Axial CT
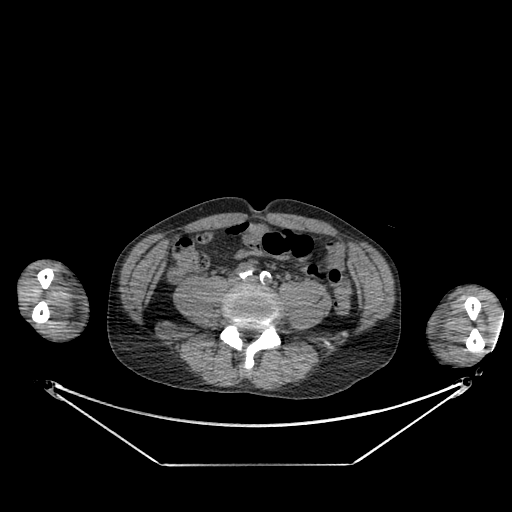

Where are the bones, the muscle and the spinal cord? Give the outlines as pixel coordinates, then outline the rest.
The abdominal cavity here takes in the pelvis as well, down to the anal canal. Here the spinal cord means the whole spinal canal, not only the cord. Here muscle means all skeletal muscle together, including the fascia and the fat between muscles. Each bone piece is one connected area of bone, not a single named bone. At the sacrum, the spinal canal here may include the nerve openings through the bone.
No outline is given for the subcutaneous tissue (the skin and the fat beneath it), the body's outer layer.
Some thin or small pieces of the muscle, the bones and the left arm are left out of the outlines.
Outlines (x, y in pixels):
bones 1: 244,282 269,288 271,292 276,294 281,307 280,315 273,321 281,343 277,347 257,351 253,356 254,364 250,370 243,367 244,352 235,349 219,337 220,332 229,323 229,319 224,315 222,309 224,294 234,286; inner edge: 240,327 241,328 249,328 250,329 257,329 258,330 259,330 259,331 260,332 260,333 258,335 258,336 256,338 255,338 254,339 243,339 241,337 241,334 240,333 240,332 239,331 239,328
bones 2: 474,327 478,329 481,335 485,339 485,346 484,347 484,349 483,349 481,351 478,351 477,352 471,352 469,351 467,349 466,347 466,345 465,344 465,338 469,335 469,333 471,331 472,328
bones 3: 41,300 44,300 46,302 48,306 48,308 49,309 49,317 48,319 45,322 43,322 42,323 38,323 32,320 32,318 31,317 31,314 32,313 32,310 34,306 39,301
bones 4: 467,296 475,296 476,297 477,297 477,298 480,301 480,302 481,303 481,309 478,313 478,314 477,315 477,317 475,320 472,320 469,317 467,312 465,310 465,309 463,306 463,303 465,300 465,298
bones 5: 46,267 48,267 49,268 52,268 53,269 53,279 51,281 51,282 50,283 49,286 47,288 44,289 43,288 42,288 42,287 41,286 41,285 40,284 39,281 37,279 37,273 40,270 41,270
muscle 1: 228,212 301,215 357,235 375,248 390,268 395,290 392,311 369,330 351,337 307,378 291,388 267,390 254,387 247,379 234,386 204,383 160,344 156,344 129,317 122,306 119,277 132,248 148,235 173,225, around holes outlined by 250,218 343,243 359,317 346,336 312,329 332,300 311,279 279,286 273,323 281,343 257,351 250,370 244,352 219,337 229,323 221,276 191,275 175,289 173,303 193,325 148,325 144,310 172,246 and by 325,340 326,340 327,340 328,340 329,341 330,342 331,343 331,344 331,345 331,346 330,347 329,347 328,347 327,347 326,346 325,345 324,344 324,343 324,342 324,341
muscle 2: 468,285 473,285 488,291 495,298 496,302 498,304 501,310 501,314 500,315 500,317 498,321 498,324 496,327 495,333 492,339 490,346 486,347 485,348 486,349 484,352 475,361 473,362 468,362 464,364 460,364 459,363 451,363 443,360 437,355 436,352 434,350 432,346 432,342 433,340 430,336 430,327 443,301 450,294 457,289, around holes outlined by 474,327 478,329 481,335 485,339 485,346 484,347 484,349 483,349 481,351 478,351 477,352 471,352 469,351 467,349 466,347 466,345 465,344 465,338 469,335 469,333 471,331 472,328 and by 467,296 475,296 476,297 477,297 477,298 480,301 480,302 481,303 481,309 478,313 478,314 477,315 477,317 475,320 472,320 469,317 467,312 465,310 465,309 463,306 463,303 465,300 465,298
muscle 3: 41,261 51,261 61,265 78,283 86,298 86,313 82,324 77,331 68,337 52,338 41,332 36,326 35,323 45,323 50,317 50,309 44,299 39,300 33,306 30,317 22,307 19,296 20,280 30,266 with a hole at 46,267 48,267 49,268 52,268 53,269 53,279 51,281 51,282 50,283 49,286 47,288 44,289 43,288 42,288 42,287 41,286 41,285 40,284 39,281 37,279 37,273 40,270 41,270
spinal cord: 240,327 241,328 249,328 250,329 257,329 258,330 259,330 259,331 260,332 260,333 258,335 258,336 256,338 255,338 254,339 243,339 241,337 241,334 240,333 240,332 239,331 239,328
left arm: 464,282 475,282 490,289 497,296 504,309 501,316 501,319 500,317 499,318 500,322 499,330 494,346 491,351 473,366 449,368 447,366 444,366 437,363 428,350 425,341 425,327 429,316 442,296 452,287
torso: 223,196 246,198 257,209 274,198 300,200 337,215 385,249 396,265 402,291 400,339 385,366 335,394 313,399 288,399 176,388 144,378 117,360 107,339 106,309 110,277 119,253 134,237 160,220 192,205
right arm: 41,258 54,258 67,265 74,272 82,283 88,297 90,316 87,326 79,336 67,342 57,343 49,341 41,337 24,320 20,315 18,310 17,306 17,294 16,293 16,281 17,278 20,272 25,266 30,262
abdominal cavity: 250,218 343,243 358,298 357,324 333,332 312,329 332,305 325,287 315,280 283,282 277,294 263,284 244,281 229,288 221,276 191,275 172,298 193,325 163,319 151,328 144,310 172,246 193,233 233,228